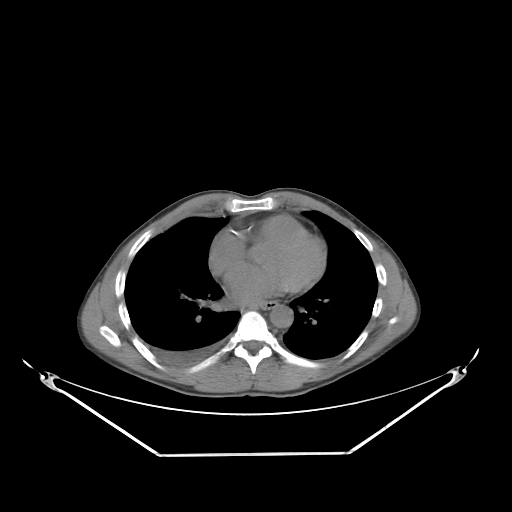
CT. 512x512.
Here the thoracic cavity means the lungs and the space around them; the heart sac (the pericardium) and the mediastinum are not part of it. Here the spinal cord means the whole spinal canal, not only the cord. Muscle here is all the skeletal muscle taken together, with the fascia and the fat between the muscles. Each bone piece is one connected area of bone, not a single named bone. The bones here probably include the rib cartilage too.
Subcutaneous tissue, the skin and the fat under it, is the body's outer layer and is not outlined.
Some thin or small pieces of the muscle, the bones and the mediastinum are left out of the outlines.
muscle: (280, 191) (300, 193) (328, 205) (390, 253) (416, 303) (414, 320) (404, 332) (347, 369) (284, 391) (252, 388) (234, 392) (199, 391) (188, 385) (137, 371) (98, 350) (86, 339) (81, 326) (83, 307) (118, 253) (147, 226) (184, 202) (205, 194) (227, 193) (239, 197) (227, 197) (221, 203) (221, 208) (203, 208) (153, 236) (154, 230) (149, 228) (130, 247) (127, 258) (131, 262) (127, 271) (123, 268) (117, 271) (114, 293) (118, 299) (124, 298) (117, 304) (117, 311) (124, 328) (128, 331) (132, 327) (136, 333) (130, 339) (134, 347) (149, 363) (162, 371) (166, 370) (165, 364) (187, 367) (185, 371) (189, 374) (216, 363) (231, 352) (247, 363) (252, 375) (256, 373) (259, 363) (274, 353) (288, 364) (310, 369) (324, 366) (315, 360) (331, 358) (343, 352) (339, 360) (341, 362) (349, 358) (367, 338) (369, 330) (365, 327) (370, 318) (376, 318) (382, 310) (383, 300) (377, 292) (379, 285) (385, 286) (387, 283) (386, 269) (381, 262) (373, 262) (370, 253) (374, 247) (362, 231) (355, 227) (349, 229) (331, 216) (310, 207) (280, 206) (281, 202) (275, 196) (263, 196); inner edges: (102, 325) (106, 325) (116, 333) (116, 334) (118, 336) (118, 337) (120, 340) (120, 342) (121, 343) (121, 345) (120, 346) (119, 346) (118, 347) (117, 347) (116, 346) (114, 346) (112, 344) (111, 344) (101, 334) (100, 334) (100, 333) (99, 332) (99, 327), then (393, 316) (397, 316) (398, 317) (398, 320) (395, 323) (394, 323) (393, 324) (389, 324) (388, 323) (388, 321) (389, 320) (389, 319) (390, 318) (391, 318)
mediastinum 1: (224, 293) (232, 302) (239, 305) (267, 300) (288, 301) (292, 298) (295, 298) (289, 304) (293, 310) (294, 320) (287, 332) (282, 336) (281, 339) (278, 339) (269, 330) (267, 321) (258, 311) (247, 310) (240, 314) (239, 311) (230, 309) (231, 306) (230, 302) (224, 297)
mediastinum 2: (208, 208) (218, 208) (222, 210) (225, 210) (230, 213) (238, 213) (245, 211) (258, 211) (252, 211) (251, 212) (247, 212) (241, 214) (228, 222) (228, 219) (226, 217) (223, 217) (222, 216) (219, 217) (191, 216) (191, 215) (197, 213) (203, 209) (207, 209)
bones 1: (247, 311) (258, 312) (266, 321) (268, 330) (283, 347) (298, 356) (317, 361) (323, 366) (310, 368) (288, 363) (274, 352) (271, 356) (263, 358) (256, 366) (255, 373) (252, 374) (248, 363) (231, 351) (198, 371) (187, 372) (186, 368) (212, 355) (228, 341) (241, 315); inner edge: (251, 340) (255, 340) (256, 341) (259, 341) (262, 344) (261, 345) (261, 347) (255, 353) (251, 353) (246, 348) (245, 348) (245, 347) (244, 346) (244, 343) (245, 342) (246, 342) (247, 341) (250, 341)
bones 2: (267, 196) (275, 197) (280, 202) (279, 206) (273, 209) (270, 209) (269, 210) (245, 210) (244, 211) (239, 211) (238, 212) (230, 212) (222, 208) (222, 203) (229, 197) (230, 198) (240, 198) (241, 199) (247, 199) (250, 200) (251, 199) (258, 199)
bones 3: (136, 334) (139, 337) (139, 338) (142, 341) (142, 342) (147, 347) (147, 348) (155, 356) (156, 359) (165, 367) (165, 370) (162, 370) (156, 367) (154, 365) (153, 365) (150, 362) (149, 362) (138, 351) (138, 350) (135, 347) (135, 346) (133, 344) (131, 340) (132, 337)
bones 4: (149, 229) (152, 229) (153, 230) (153, 234) (152, 236) (139, 249) (139, 250) (136, 253) (136, 254) (134, 256) (132, 260) (131, 259) (129, 259) (128, 258) (128, 253) (131, 247) (133, 245) (135, 241) (145, 231)
bones 5: (365, 328) (368, 330) (368, 334) (366, 338) (362, 343) (362, 344) (349, 357) (341, 361) (340, 360) (342, 356) (345, 353) (346, 350) (349, 347) (349, 346) (358, 337) (358, 336) (361, 333) (361, 332)
bones 6: (102, 325) (106, 325) (116, 333) (116, 334) (118, 336) (118, 337) (120, 340) (120, 342) (121, 343) (121, 345) (120, 346) (119, 346) (118, 347) (117, 347) (116, 346) (114, 346) (112, 344) (111, 344) (101, 334) (100, 334) (100, 333) (99, 332) (99, 327)
bones 7: (120, 269) (123, 269) (124, 270) (125, 270) (127, 272) (126, 273) (126, 276) (125, 277) (125, 282) (124, 283) (124, 291) (123, 292) (123, 296) (120, 298) (118, 298) (116, 296) (116, 294) (115, 293) (115, 279) (116, 278) (116, 275) (117, 274) (118, 271)
bones 8: (122, 301) (124, 301) (125, 303) (125, 305) (126, 306) (126, 308) (127, 309) (127, 311) (129, 315) (129, 318) (131, 322) (131, 325) (132, 326) (128, 330) (127, 330) (125, 328) (120, 318) (120, 316) (119, 315) (119, 312) (118, 311) (118, 304)
bones 9: (353, 228) (355, 228) (356, 229) (359, 230) (361, 232) (362, 232) (369, 240) (369, 241) (371, 243) (371, 244) (373, 247) (373, 250) (372, 251) (372, 252) (369, 252) (367, 250) (367, 249) (361, 243) (361, 242) (357, 238) (357, 237) (353, 233) (353, 232) (351, 230)
bones 10: (378, 262) (381, 263) (385, 269) (385, 272) (386, 273) (386, 283) (385, 284) (385, 285) (381, 285) (380, 284) (379, 284) (379, 283) (378, 282) (378, 279) (377, 278) (377, 275) (376, 274) (376, 270) (375, 269) (375, 266) (374, 265) (374, 264) (375, 263) (377, 263)
bones 11: (377, 296) (380, 297) (382, 300) (382, 306) (381, 307) (381, 310) (380, 311) (379, 314) (376, 317) (371, 317) (371, 314) (372, 313) (372, 309) (373, 308) (373, 306) (374, 305) (374, 302) (375, 301) (375, 300) (376, 299) (376, 297)
thoracic cavity 1: (188, 216) (227, 219) (227, 222) (214, 235) (209, 245) (207, 266) (214, 281) (221, 288) (223, 297) (229, 302) (229, 309) (239, 312) (240, 316) (234, 331) (215, 352) (189, 366) (172, 366) (159, 361) (137, 334) (132, 325) (124, 292) (128, 270) (140, 249) (152, 237)
thoracic cavity 2: (313, 210) (331, 217) (352, 232) (369, 253) (378, 283) (370, 317) (364, 328) (344, 351) (320, 359) (309, 359) (298, 355) (283, 346) (279, 341) (288, 332) (295, 320) (291, 302) (310, 290) (320, 281) (326, 271) (328, 243) (319, 227) (303, 214) (303, 211)
spinal cord: (251, 340) (255, 340) (256, 341) (259, 341) (262, 344) (261, 345) (261, 347) (255, 353) (251, 353) (246, 348) (245, 348) (245, 347) (244, 346) (244, 343) (245, 342) (246, 342) (247, 341) (250, 341)
pericardium: (259, 211) (297, 211) (306, 217) (317, 227) (323, 235) (327, 243) (326, 267) (325, 271) (319, 281) (301, 295) (292, 297) (288, 300) (267, 299) (239, 304) (232, 301) (214, 279) (208, 266) (209, 249) (214, 237) (220, 231) (223, 230) (225, 226) (230, 221) (241, 215)
torso: (285, 186) (309, 190) (335, 201) (393, 248) (406, 267) (421, 302) (419, 323) (407, 338) (372, 363) (324, 387) (285, 398) (208, 398) (181, 394) (121, 371) (82, 345) (76, 332) (75, 318) (87, 288) (116, 246) (148, 218) (172, 202) (201, 190) (219, 188) (251, 195)